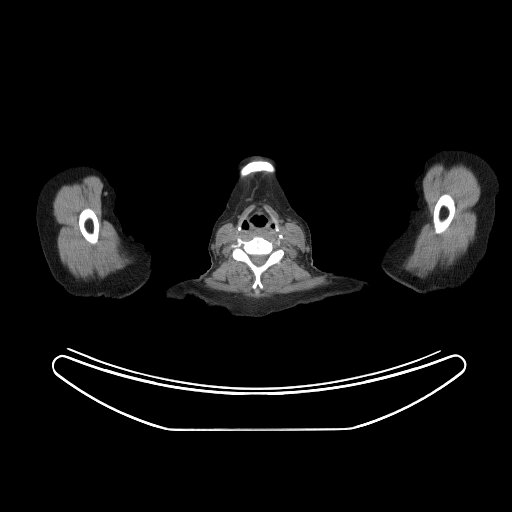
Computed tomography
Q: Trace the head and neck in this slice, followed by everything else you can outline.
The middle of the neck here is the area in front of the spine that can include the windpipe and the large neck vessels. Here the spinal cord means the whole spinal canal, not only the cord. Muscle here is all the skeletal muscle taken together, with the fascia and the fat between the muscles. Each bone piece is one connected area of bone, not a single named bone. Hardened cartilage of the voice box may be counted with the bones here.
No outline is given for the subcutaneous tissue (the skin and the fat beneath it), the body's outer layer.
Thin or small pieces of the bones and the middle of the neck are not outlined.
A: Outlines:
head and neck: 253 154; 269 156; 279 164; 276 174; 289 203; 309 227; 312 258; 315 266; 305 281; 288 299; 281 303; 262 308; 254 308; 241 303; 223 287; 210 266; 211 262; 208 253; 208 242; 213 225; 222 213; 237 178; 236 165; 243 158
right arm: 80 164; 93 166; 104 174; 115 190; 114 213; 120 221; 123 231; 128 235; 132 235; 136 241; 143 243; 151 252; 152 272; 149 279; 139 289; 123 299; 78 297; 68 293; 53 278; 40 245; 35 220; 39 192; 52 175; 67 167
middle of the neck: 258 206; 261 206; 267 210; 270 214; 270 217; 274 223; 274 229; 275 231; 277 232; 277 233; 274 235; 269 235; 266 237; 264 237; 261 235; 254 235; 252 237; 250 235; 246 235; 240 232; 242 229; 241 226; 242 220; 251 210
left arm: 447 148; 472 151; 483 157; 491 165; 499 182; 495 218; 485 255; 471 277; 457 289; 419 294; 392 280; 381 268; 380 261; 390 242; 407 225; 409 212; 417 208; 416 200; 418 195; 414 187; 414 181; 422 172; 425 160; 435 152
muscle 1: 259 172; 273 174; 273 188; 280 205; 304 231; 308 247; 307 268; 314 275; 325 276; 331 281; 329 284; 310 290; 259 298; 241 293; 216 291; 204 286; 204 280; 211 275; 217 265; 212 248; 215 234; 238 201; 242 191; 241 178 with a hole at 258 206; 276 219; 279 231; 265 238; 275 242; 280 234; 280 247; 284 254; 279 263; 271 265; 261 274; 263 288; 257 287; 255 290; 252 288; 254 276; 244 262; 233 258; 232 244; 238 237; 243 240; 252 237; 240 232; 237 226
muscle 2: 437 162; 443 163; 446 167; 463 163; 470 167; 478 177; 482 190; 474 208; 477 216; 476 233; 473 243; 455 264; 445 269; 437 268; 425 277; 419 277; 404 268; 403 263; 412 250; 415 236; 427 220; 422 182; 428 169, around a hole outlined by 446 193; 447 194; 449 194; 452 197; 454 201; 454 204; 455 205; 455 212; 447 228; 443 232; 439 234; 437 234; 435 233; 434 231; 434 227; 433 226; 433 222; 432 221; 433 211; 434 210; 435 205; 439 197; 442 194; 445 194
muscle 3: 89 174; 98 176; 105 186; 107 200; 104 204; 104 218; 112 224; 121 239; 123 248; 133 258; 133 261; 123 269; 104 278; 83 280; 75 278; 59 258; 57 248; 59 226; 53 215; 52 201; 56 191; 62 184; 80 182; 84 176 with a hole at 87 207; 93 210; 93 211; 96 215; 96 217; 99 223; 99 234; 98 235; 98 240; 95 244; 91 244; 85 239; 82 233; 80 231; 80 228; 79 227; 79 214; 83 209
spinal cord: 249 255; 267 255; 268 256; 267 257; 267 259; 265 261; 265 262; 263 264; 262 264; 261 265; 256 265; 254 263; 253 263; 251 261; 251 260; 250 259; 250 258; 249 257
torso: 209 267; 229 294; 241 304; 254 309; 275 306; 288 300; 316 267; 365 280; 372 285; 372 288; 364 287; 356 293; 300 304; 263 317; 240 317; 231 315; 221 307; 209 307; 203 301; 191 297; 176 300; 159 294; 180 281; 196 278
bones 1: 279 234; 282 236; 280 247; 284 251; 284 254; 279 263; 271 265; 261 274; 260 280; 263 288; 257 287; 255 290; 252 288; 254 276; 244 262; 233 258; 232 244; 237 241; 238 237; 248 240; 254 236; 261 236; 269 241; 275 242; inner edge: 249 255; 267 255; 268 256; 267 257; 267 259; 265 261; 265 262; 263 264; 262 264; 261 265; 256 265; 254 263; 253 263; 251 261; 251 260; 250 259; 250 258; 249 257
bones 2: 446 193; 447 194; 449 194; 452 197; 454 201; 454 204; 455 205; 455 212; 447 228; 443 232; 439 234; 437 234; 435 233; 434 231; 434 227; 433 226; 433 222; 432 221; 433 211; 434 210; 435 205; 439 197; 442 194; 445 194
bones 3: 87 207; 93 210; 93 211; 96 215; 96 217; 99 223; 99 234; 98 235; 98 240; 95 244; 91 244; 85 239; 82 233; 80 231; 80 228; 79 227; 79 214; 83 209
bones 4: 253 160; 265 160; 266 161; 268 161; 270 162; 275 167; 275 169; 276 170; 274 173; 270 173; 269 172; 266 172; 265 171; 252 172; 248 174; 246 176; 240 177; 239 175; 239 171; 240 169; 244 165; 245 165; 250 161; 252 161